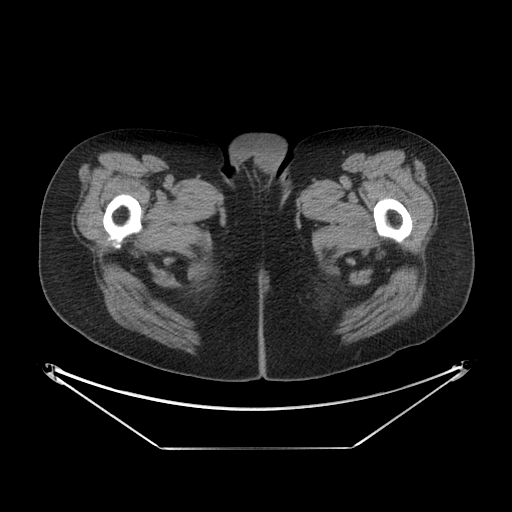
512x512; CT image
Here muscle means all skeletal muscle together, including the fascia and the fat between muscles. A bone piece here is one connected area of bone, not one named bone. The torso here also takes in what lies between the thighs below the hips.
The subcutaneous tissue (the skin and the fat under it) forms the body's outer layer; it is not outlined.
{"bones":[[[119,194],[128,194],[135,198],[138,201],[142,210],[142,214],[141,215],[141,224],[142,227],[138,232],[136,233],[132,233],[126,236],[121,241],[116,241],[109,237],[108,233],[104,228],[103,221],[102,220],[103,219],[104,211],[107,204],[116,195]],[[384,198],[393,198],[398,200],[404,205],[410,214],[411,220],[412,221],[412,228],[411,229],[411,231],[409,235],[400,243],[396,242],[391,238],[384,237],[379,235],[376,230],[375,222],[373,217],[373,208],[375,204],[379,200]]],"right_leg":[[[122,127],[158,128],[195,134],[213,141],[224,152],[225,164],[222,170],[226,175],[232,174],[234,177],[261,229],[262,378],[248,382],[218,382],[153,368],[91,342],[61,320],[48,304],[38,274],[39,216],[47,185],[63,157],[74,145],[97,133]]],"left_leg":[[[365,124],[397,126],[427,138],[445,154],[456,170],[465,193],[474,243],[474,277],[468,301],[459,316],[434,337],[398,350],[388,358],[320,379],[268,381],[262,375],[261,245],[263,218],[277,175],[286,166],[292,156],[293,147],[301,139],[326,129]]],"torso":[[[245,131],[276,132],[284,135],[288,139],[289,144],[288,145],[288,151],[278,168],[277,171],[278,172],[276,175],[267,202],[265,212],[263,214],[261,228],[254,213],[244,196],[242,190],[232,173],[234,169],[229,162],[226,151],[229,141],[237,134]]],"muscle":[{"outer":[[109,150],[153,154],[177,171],[211,183],[224,195],[225,218],[215,244],[217,248],[208,283],[186,312],[196,323],[195,329],[202,338],[196,355],[169,347],[117,323],[108,312],[95,280],[93,254],[72,231],[71,218],[81,187],[79,168],[93,155]],"hole":[[119,194],[128,194],[135,198],[138,201],[142,210],[142,214],[141,215],[141,224],[142,227],[138,232],[136,233],[132,233],[126,236],[121,241],[116,241],[109,237],[108,233],[104,228],[103,221],[102,220],[103,219],[104,211],[107,204],[116,195]]},{"outer":[[374,147],[402,148],[413,153],[424,164],[437,205],[437,226],[425,250],[425,292],[422,305],[417,312],[373,335],[347,345],[339,345],[338,337],[331,331],[345,299],[339,286],[322,270],[305,244],[295,223],[295,199],[314,179],[340,164],[349,154]],"hole":[[384,198],[393,198],[398,200],[404,205],[410,214],[411,220],[412,221],[412,228],[411,229],[411,231],[409,235],[400,243],[396,242],[391,238],[384,237],[379,235],[376,230],[375,222],[373,217],[373,208],[375,204],[379,200]]}]}